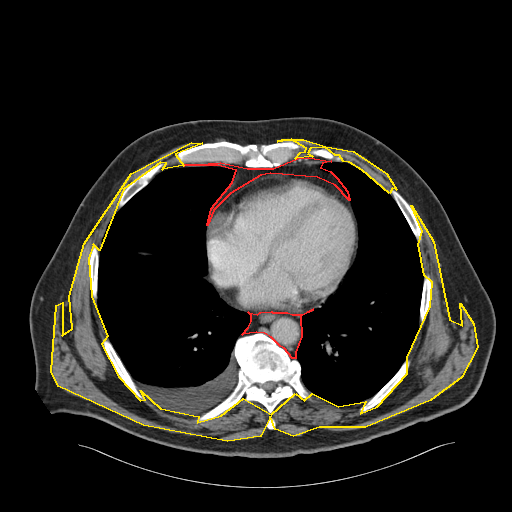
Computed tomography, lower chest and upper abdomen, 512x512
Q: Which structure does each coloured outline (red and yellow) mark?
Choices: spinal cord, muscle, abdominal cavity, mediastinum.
A: red: mediastinum; yellow: muscle.
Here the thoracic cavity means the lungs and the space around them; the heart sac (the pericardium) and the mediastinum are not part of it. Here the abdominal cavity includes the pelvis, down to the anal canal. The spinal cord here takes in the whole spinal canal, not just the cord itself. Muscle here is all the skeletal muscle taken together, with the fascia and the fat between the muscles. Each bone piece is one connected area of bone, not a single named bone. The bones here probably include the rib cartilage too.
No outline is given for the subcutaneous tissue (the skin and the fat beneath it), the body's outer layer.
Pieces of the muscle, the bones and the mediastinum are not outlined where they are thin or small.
{"mediastinum":[[[308,157],[331,161],[322,163],[320,167],[330,171],[336,177],[347,191],[349,200],[335,185],[317,177],[270,173],[260,175],[230,193],[213,210],[207,225],[211,208],[232,182],[236,170],[217,165],[184,165],[220,162],[247,168],[273,168],[297,158]],[[313,309],[300,316],[301,336],[295,352],[295,358],[292,358],[284,348],[280,346],[271,337],[264,333],[256,332],[242,334],[248,327],[251,321],[251,315],[248,312],[257,314],[260,312],[271,311],[272,312],[287,312],[292,314],[302,314]]],"muscle":[[[191,142],[202,143],[175,154],[183,165],[162,169],[166,163],[160,162],[123,189],[99,250],[93,244],[88,258],[91,296],[107,336],[101,344],[118,376],[140,400],[145,399],[140,390],[160,408],[198,416],[197,422],[221,415],[243,398],[271,414],[295,393],[304,400],[312,393],[338,406],[365,401],[360,413],[377,406],[407,373],[407,357],[430,306],[432,282],[424,275],[418,244],[422,231],[411,205],[433,241],[449,319],[462,325],[460,303],[473,323],[477,347],[461,377],[430,400],[365,427],[319,427],[293,436],[275,429],[270,416],[260,436],[227,441],[143,425],[58,386],[51,371],[56,305],[62,302],[62,335],[72,328],[69,296],[84,243],[131,173]],[[281,139],[303,139],[325,146],[353,151],[386,173],[396,189],[392,188],[389,193],[362,170],[349,162],[343,161],[339,155],[335,155],[325,147],[310,148],[307,153],[312,156],[295,158],[300,152],[305,151],[306,148],[291,139],[282,141],[277,141]]],"bones":[{"outer":[[256,333],[268,336],[292,359],[297,360],[300,365],[300,380],[311,398],[304,399],[295,392],[294,397],[282,399],[269,413],[258,401],[246,401],[243,397],[221,414],[197,421],[200,415],[220,403],[234,389],[239,370],[233,351],[235,343],[242,335]],"hole":[[267,381],[273,381],[274,382],[275,382],[276,383],[277,383],[277,385],[276,386],[276,387],[271,392],[270,392],[269,393],[268,393],[261,386],[265,382],[266,382]]},[[223,140],[243,145],[256,144],[258,146],[261,144],[291,140],[302,145],[305,148],[305,150],[300,151],[297,154],[297,156],[293,159],[273,167],[247,167],[242,164],[226,163],[220,161],[181,164],[175,159],[176,154],[180,150],[207,142],[215,142]],[[407,358],[410,360],[410,364],[408,367],[408,369],[404,375],[403,378],[400,381],[397,386],[391,392],[391,393],[381,402],[380,402],[374,407],[364,412],[360,412],[359,411],[359,408],[362,405],[363,405],[368,399],[372,397],[396,373],[403,362]],[[102,338],[106,338],[108,339],[111,343],[114,350],[121,360],[123,365],[138,387],[139,391],[144,398],[143,400],[140,399],[126,385],[126,384],[122,380],[122,379],[115,370],[114,367],[112,365],[110,360],[108,358],[106,354],[106,352],[102,344]],[[163,162],[165,163],[165,165],[160,170],[160,171],[156,173],[145,186],[144,186],[140,190],[139,190],[120,208],[118,208],[118,202],[119,201],[120,196],[122,192],[124,190],[124,189],[137,176],[138,176],[141,173]],[[392,189],[394,189],[396,190],[406,200],[406,201],[412,208],[416,216],[416,218],[419,224],[419,227],[421,231],[421,241],[420,243],[418,243],[408,222],[406,220],[404,215],[402,213],[397,203],[391,195],[390,193],[390,191]],[[93,245],[96,245],[97,246],[97,248],[98,249],[98,254],[99,255],[99,258],[98,259],[98,270],[97,271],[97,298],[96,300],[95,300],[92,296],[92,292],[91,291],[91,286],[90,285],[90,280],[89,279],[89,258],[90,257],[91,249]],[[426,274],[428,274],[430,278],[430,281],[431,282],[431,294],[430,295],[429,306],[428,307],[427,315],[425,321],[423,324],[420,324],[419,321],[420,320],[419,318],[420,317],[420,305],[421,304],[422,290],[423,289],[423,280],[424,279],[424,276]],[[319,148],[325,148],[327,149],[329,151],[330,151],[335,156],[339,156],[341,158],[342,161],[334,161],[333,160],[329,160],[325,158],[322,158],[321,157],[318,157],[317,156],[313,156],[309,154],[308,153],[308,150],[310,149],[318,149]]],"thoracic_cavity":[[[179,166],[217,166],[235,170],[231,182],[208,212],[205,279],[228,305],[250,315],[250,321],[236,339],[232,351],[238,365],[235,386],[220,402],[199,415],[180,415],[168,411],[140,389],[108,338],[97,303],[99,251],[108,224],[116,212],[156,174]],[[332,161],[351,164],[392,197],[417,242],[423,272],[419,323],[406,358],[372,396],[350,405],[338,405],[311,392],[301,380],[301,365],[296,358],[302,336],[301,316],[319,308],[338,289],[354,264],[357,253],[358,225],[350,195],[330,170],[321,167]]],"abdominal_cavity":[[[141,252],[142,252],[143,252],[144,252],[145,252],[146,253],[147,253],[148,254],[147,255],[146,255],[145,255],[144,255],[143,255],[142,255],[141,254],[140,254],[140,253]]],"torso":[[[293,116],[329,118],[372,135],[401,156],[442,204],[495,313],[495,339],[475,395],[454,411],[365,443],[281,458],[228,457],[186,451],[148,441],[92,417],[51,413],[35,388],[30,302],[37,281],[78,205],[106,166],[130,142],[169,124],[198,119]]],"spinal_cord":[[[267,381],[273,381],[274,382],[275,382],[276,383],[277,383],[277,385],[276,386],[276,387],[271,392],[270,392],[269,393],[268,393],[261,386],[265,382],[266,382]]],"pericardium":[[[270,174],[311,176],[332,184],[347,197],[357,225],[357,247],[351,267],[345,274],[337,289],[325,301],[318,306],[302,313],[271,310],[255,313],[252,311],[240,309],[224,299],[208,279],[206,228],[210,216],[214,210],[230,194],[249,184],[254,179]]]}